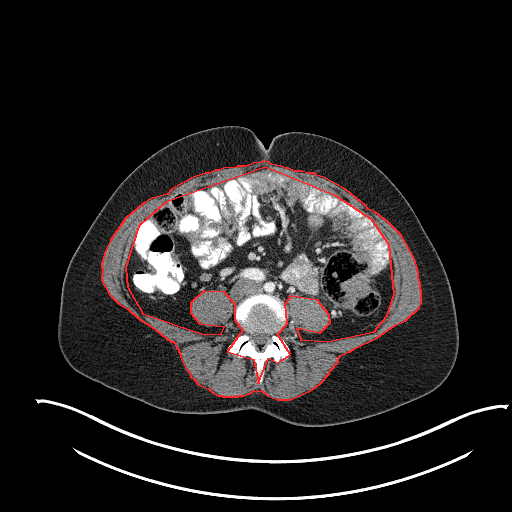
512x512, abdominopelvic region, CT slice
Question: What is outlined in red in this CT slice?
Answer: red: muscle.
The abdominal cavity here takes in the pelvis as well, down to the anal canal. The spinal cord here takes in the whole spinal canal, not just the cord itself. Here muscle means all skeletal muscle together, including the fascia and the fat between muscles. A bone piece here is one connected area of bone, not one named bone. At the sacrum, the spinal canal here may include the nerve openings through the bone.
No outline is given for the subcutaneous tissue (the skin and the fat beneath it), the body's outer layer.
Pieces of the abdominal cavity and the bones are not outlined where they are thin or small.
The muscle is outlined by 277,399 290,399 312,389 320,383 329,373 330,370 338,361 338,358 340,355 348,351 350,351 354,348 377,337 394,325 405,320 419,307 421,303 421,290 420,289 420,283 418,277 418,272 414,258 401,235 388,222 375,212 368,209 365,205 345,189 323,177 316,175 314,173 308,173 301,171 294,171 288,168 285,168 281,166 271,164 268,162 262,161 261,162 253,163 246,166 237,166 236,167 223,168 219,170 215,170 209,173 205,173 193,177 173,188 170,190 167,194 152,198 143,203 125,218 110,240 105,250 101,264 101,267 102,268 101,280 109,294 118,303 127,308 139,319 151,326 170,341 173,341 174,342 176,348 178,349 178,351 180,354 180,357 186,369 189,372 190,376 194,379 198,384 208,388 212,392 218,395 222,395 223,396 237,396 238,395 243,395 249,393 254,390 256,391 261,390 267,395; inner edge: 258,383 268,358 278,362 290,354 277,334 287,323 285,303 291,295 316,299 328,314 329,323 319,333 296,328 300,339 327,341 374,331 387,315 394,294 389,245 371,219 336,196 265,167 165,202 138,226 125,267 127,287 142,313 204,334 221,333 224,327 200,324 191,313 191,302 204,290 223,291 234,303 234,319 242,330 227,351 253,359. The spinal cord is outlined by 258,345 263,345 266,342 266,341 267,340 267,338 269,336 267,334 266,334 265,333 264,333 261,331 259,331 258,332 256,332 255,333 254,333 252,335 252,339 254,341 254,342 255,343 256,343. The abdominal cavity is outlined by 308,341 369,333 387,315 394,294 389,245 354,207 259,167 183,192 138,226 125,280 142,313 218,334 223,326 207,328 191,313 202,291 223,291 235,308 255,293 285,303 298,294 328,314 319,333 296,328. The bones are outlined by 258,383 263,380 264,362 268,358 272,357 278,362 290,354 288,345 277,334 287,322 286,305 277,296 262,293 249,296 237,305 234,319 242,333 227,346 229,353 236,354 239,358 249,356 253,359 with a hole at 258,345 263,345 266,342 266,341 267,340 267,338 269,336 267,334 266,334 265,333 264,333 261,331 259,331 258,332 256,332 255,333 254,333 252,335 252,339 254,341 254,342 255,343 256,343. The torso is outlined by 310,427 383,413 428,394 446,379 457,357 459,332 443,264 393,182 365,157 335,140 293,131 276,135 266,147 252,130 233,125 179,138 126,176 76,248 62,283 59,348 78,373 159,409 196,414 255,409.